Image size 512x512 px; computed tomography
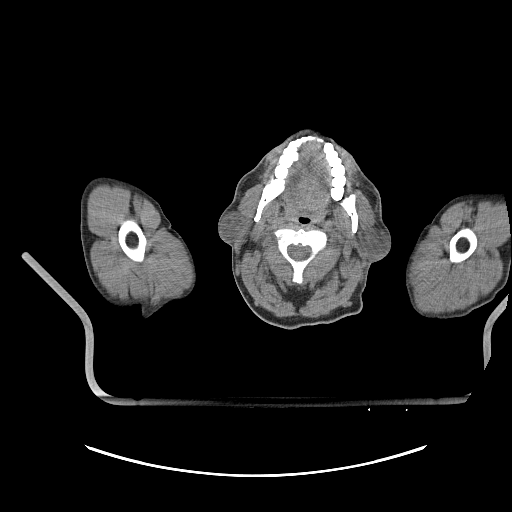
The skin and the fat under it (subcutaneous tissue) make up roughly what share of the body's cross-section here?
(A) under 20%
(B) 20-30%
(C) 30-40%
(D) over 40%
(A) under 20%
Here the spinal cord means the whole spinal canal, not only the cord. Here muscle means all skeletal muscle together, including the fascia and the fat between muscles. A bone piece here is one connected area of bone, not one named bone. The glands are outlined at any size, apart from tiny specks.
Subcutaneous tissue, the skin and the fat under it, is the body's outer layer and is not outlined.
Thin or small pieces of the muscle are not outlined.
{"muscle":[{"outer":[[312,133],[330,141],[308,134],[287,143],[253,220],[285,189],[299,148],[314,142],[330,168],[330,196],[350,218],[351,234],[367,260],[350,306],[323,317],[277,317],[255,305],[237,271],[235,242],[247,236],[253,219],[232,210],[271,153],[292,137]],"hole":[[280,228],[290,228],[294,230],[297,230],[300,228],[305,230],[319,229],[322,230],[327,236],[326,245],[324,249],[319,254],[319,258],[310,263],[303,271],[302,273],[302,282],[301,283],[297,283],[292,281],[293,270],[277,248],[277,242],[273,232]]},{"outer":[[101,182],[114,182],[131,188],[153,204],[159,213],[161,224],[181,242],[187,253],[192,270],[192,280],[188,288],[177,295],[167,297],[152,305],[141,301],[121,300],[111,297],[100,284],[94,273],[90,259],[91,236],[87,225],[87,199],[91,189]],"hole":[[127,219],[132,219],[134,220],[140,226],[147,242],[145,247],[145,252],[144,253],[143,260],[140,262],[134,261],[128,257],[125,254],[122,248],[120,246],[120,244],[118,240],[118,230],[119,229],[119,227],[121,223],[124,220],[126,220]]},{"outer":[[471,198],[505,200],[505,206],[508,218],[508,233],[510,236],[511,242],[504,260],[501,278],[489,293],[463,309],[439,313],[424,311],[416,303],[413,290],[409,282],[409,269],[412,258],[419,243],[424,238],[430,227],[435,224],[442,214],[453,204]],"hole":[[465,227],[468,227],[470,228],[475,233],[476,237],[477,238],[477,245],[473,252],[466,259],[460,262],[458,262],[457,263],[451,262],[449,260],[449,242],[450,241],[450,239],[452,237],[452,236],[458,230],[459,230],[461,228],[464,228]]},[[333,143],[347,154],[353,163],[358,178],[365,186],[375,194],[376,199],[375,213],[377,221],[382,227],[379,226],[369,227],[361,229],[357,232],[359,226],[359,216],[356,207],[356,195],[352,192],[345,195],[346,170],[342,163],[342,159],[335,149]]],"head_and_neck":[{"outer":[[303,128],[317,129],[333,138],[353,156],[375,185],[391,247],[384,257],[369,266],[362,293],[363,305],[357,314],[331,323],[286,329],[265,322],[244,301],[232,273],[231,247],[220,238],[217,224],[233,198],[239,179],[274,146]],"hole":[[300,217],[301,217],[302,217],[303,217],[304,218],[305,218],[306,218],[307,218],[308,219],[309,220],[308,221],[307,222],[306,222],[305,223],[304,223],[303,223],[302,222],[301,222],[300,221],[300,220],[299,219],[300,218]]}],"right_arm":[[[100,175],[113,176],[131,182],[152,196],[160,204],[171,226],[185,241],[193,258],[196,281],[191,293],[182,299],[170,301],[146,318],[141,317],[140,308],[137,305],[122,308],[108,303],[98,293],[88,275],[80,238],[80,199],[86,184],[92,178]]],"spinal_cord":[[[291,244],[292,244],[293,245],[297,245],[298,244],[300,244],[302,246],[308,246],[310,248],[310,253],[309,254],[309,255],[306,258],[305,258],[304,259],[302,259],[301,260],[296,260],[295,259],[294,259],[293,258],[292,258],[288,254],[288,246]]],"parotid_glands":[[[379,227],[380,228],[384,229],[389,236],[388,247],[387,248],[386,252],[382,256],[375,259],[369,259],[365,254],[363,250],[363,248],[361,246],[361,244],[357,237],[357,233],[361,230],[364,230],[365,229],[368,229],[369,228],[378,228]],[[234,210],[235,211],[237,210],[241,212],[246,217],[251,218],[252,219],[252,222],[251,223],[249,231],[246,236],[244,238],[237,239],[234,242],[234,243],[233,241],[230,241],[224,238],[221,233],[221,223],[220,222],[225,214],[229,212],[231,212]]],"bones":[[[308,135],[331,142],[341,159],[345,170],[344,195],[355,195],[358,226],[354,234],[351,218],[340,201],[331,196],[331,168],[322,146],[314,141],[298,148],[298,158],[288,168],[284,189],[264,206],[259,220],[254,220],[262,190],[284,148],[291,140]],{"outer":[[280,228],[290,228],[294,230],[297,230],[300,228],[305,230],[319,229],[322,230],[327,236],[326,245],[324,249],[319,254],[319,258],[310,263],[303,271],[302,273],[302,282],[301,283],[297,283],[292,281],[293,270],[277,248],[277,242],[273,232]],"hole":[[291,244],[292,244],[293,245],[297,245],[298,244],[300,244],[302,246],[308,246],[310,248],[310,253],[309,254],[309,255],[306,258],[305,258],[304,259],[302,259],[301,260],[296,260],[295,259],[294,259],[293,258],[292,258],[288,254],[288,246]]},[[127,219],[132,219],[134,220],[140,226],[147,242],[145,247],[145,252],[144,253],[143,260],[140,262],[134,261],[128,257],[125,254],[122,248],[120,246],[120,244],[118,240],[118,230],[119,229],[119,227],[121,223],[124,220],[126,220]],[[465,227],[468,227],[470,228],[475,233],[476,237],[477,238],[477,245],[473,252],[466,259],[460,262],[458,262],[457,263],[451,262],[449,260],[449,242],[450,241],[450,239],[452,237],[452,236],[458,230],[459,230],[461,228],[464,228]]],"left_arm":[[[470,192],[501,192],[504,196],[505,204],[507,207],[508,223],[511,231],[511,262],[507,282],[491,301],[474,309],[465,316],[449,319],[424,317],[414,310],[409,301],[406,291],[404,283],[404,272],[408,257],[421,230],[432,220],[442,206],[452,198]]]}